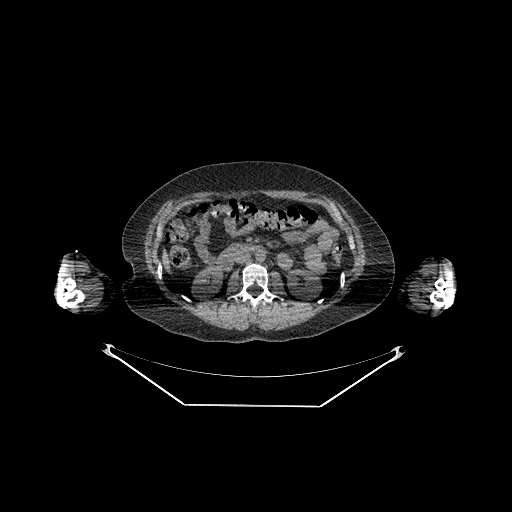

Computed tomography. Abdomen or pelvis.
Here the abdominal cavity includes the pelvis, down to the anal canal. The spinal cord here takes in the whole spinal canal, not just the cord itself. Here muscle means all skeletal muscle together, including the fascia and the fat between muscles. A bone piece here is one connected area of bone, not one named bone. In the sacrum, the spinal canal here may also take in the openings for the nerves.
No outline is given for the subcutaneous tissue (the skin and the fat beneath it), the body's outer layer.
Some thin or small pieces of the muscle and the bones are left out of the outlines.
{"bones":[{"outer":[[251,262],[261,264],[266,268],[269,275],[268,289],[272,293],[282,297],[283,301],[279,298],[274,298],[271,302],[264,304],[260,302],[256,306],[256,309],[253,310],[248,300],[242,301],[240,298],[235,299],[229,297],[236,294],[242,288],[242,269]],"hole":[[254,285],[255,285],[256,286],[257,286],[258,287],[259,287],[260,288],[260,289],[261,290],[260,291],[260,292],[256,296],[254,296],[253,295],[252,295],[248,291],[248,289],[251,286],[253,286]]},[[70,275],[75,279],[76,281],[76,287],[78,289],[80,289],[83,291],[86,295],[83,301],[79,302],[76,305],[74,305],[72,307],[71,307],[63,298],[65,296],[65,294],[67,292],[67,290],[61,285],[61,282],[60,281],[67,276],[69,276]],[[438,277],[441,277],[444,280],[445,283],[447,285],[443,289],[443,291],[448,296],[447,297],[447,299],[441,306],[441,307],[440,307],[436,304],[434,304],[431,301],[430,301],[429,297],[428,296],[429,294],[434,289],[435,287],[433,284],[438,278]],[[330,201],[331,201],[335,205],[335,206],[338,209],[338,210],[340,212],[340,213],[343,218],[343,221],[341,224],[339,224],[334,219],[334,216],[333,215],[333,212],[332,211],[332,209],[331,208],[331,207],[330,206],[330,204],[329,203],[329,202]],[[156,258],[157,259],[158,259],[159,260],[159,261],[161,263],[161,267],[162,268],[162,278],[161,279],[159,279],[158,278],[158,277],[157,276],[157,274],[156,273],[156,270],[157,269],[157,264],[155,262],[155,259]],[[161,221],[161,222],[162,223],[162,224],[163,225],[163,227],[162,228],[162,233],[161,234],[161,237],[160,238],[160,239],[159,240],[157,240],[156,239],[156,228],[157,227],[157,225]],[[349,235],[351,235],[353,237],[353,240],[354,241],[354,243],[355,244],[355,247],[354,248],[354,249],[353,249],[352,250],[351,250],[350,249],[350,247],[349,246],[349,244],[348,243],[348,236]],[[342,272],[344,272],[344,273],[345,274],[345,280],[344,281],[344,286],[343,287],[343,288],[341,288],[340,287],[340,286],[339,285],[339,284],[340,283],[340,277],[341,276],[341,273]],[[181,294],[182,294],[183,294],[184,295],[185,295],[186,296],[187,297],[188,297],[189,298],[190,299],[191,300],[191,301],[191,302],[190,302],[189,302],[188,301],[187,301],[186,300],[185,300],[184,299],[183,298],[182,297],[181,296],[181,295]],[[170,204],[171,205],[171,206],[170,207],[170,208],[170,209],[169,210],[169,211],[168,212],[167,213],[166,213],[165,214],[164,214],[164,213],[165,212],[165,211],[165,210],[165,209],[166,208],[167,207],[168,206],[169,205]]],"torso":[[[239,160],[283,161],[315,169],[340,183],[370,213],[388,238],[395,262],[391,290],[375,309],[313,337],[283,342],[252,340],[242,343],[205,342],[174,334],[130,311],[121,285],[132,271],[123,257],[121,237],[135,209],[147,196],[180,173],[206,164]]],"muscle":[{"outer":[[252,189],[273,189],[274,190],[301,190],[302,191],[313,191],[319,194],[323,194],[328,197],[333,198],[338,201],[352,217],[354,220],[354,222],[359,228],[359,231],[361,234],[361,237],[364,244],[364,249],[365,250],[365,255],[366,256],[366,263],[363,268],[363,271],[357,279],[353,281],[350,284],[350,289],[342,300],[338,302],[333,303],[325,307],[323,310],[321,310],[318,312],[312,318],[306,322],[304,322],[301,324],[295,325],[285,329],[277,330],[276,331],[270,331],[269,330],[265,331],[261,329],[253,329],[252,328],[248,328],[245,330],[225,329],[224,328],[220,328],[214,325],[211,325],[204,322],[198,317],[192,314],[190,314],[185,310],[183,310],[179,305],[178,305],[171,298],[166,295],[166,294],[158,287],[155,283],[152,275],[146,268],[146,265],[144,260],[144,241],[145,240],[145,235],[148,229],[148,226],[151,222],[151,219],[153,216],[156,213],[160,206],[165,201],[169,199],[176,199],[192,192],[199,192],[200,191],[230,191],[231,190],[237,191],[238,190],[251,190]],"hole":[[254,194],[318,204],[333,218],[329,202],[335,205],[343,218],[339,227],[353,237],[353,262],[359,263],[345,271],[343,288],[339,285],[321,303],[297,304],[299,300],[288,297],[280,273],[272,270],[268,272],[268,289],[283,301],[274,298],[260,302],[253,310],[248,300],[229,297],[242,288],[238,271],[229,276],[224,297],[191,302],[158,278],[155,259],[161,240],[156,239],[156,228],[161,221],[164,225],[190,203]]},[[64,260],[68,262],[70,261],[82,261],[84,262],[88,266],[88,268],[102,281],[104,293],[97,305],[85,309],[84,308],[77,309],[72,308],[79,303],[83,302],[87,295],[83,290],[77,287],[77,281],[71,274],[67,275],[59,281],[59,267]],[[431,263],[447,264],[452,273],[451,278],[453,283],[451,284],[448,295],[444,291],[448,285],[441,276],[438,276],[432,284],[434,287],[427,296],[430,302],[440,308],[437,309],[425,309],[414,305],[409,293],[409,288],[412,281],[422,274],[425,265]]],"right_arm":[[[74,251],[77,251],[84,254],[96,267],[105,273],[112,281],[114,287],[114,296],[109,305],[99,313],[93,315],[77,314],[66,310],[58,303],[56,299],[55,290],[54,289],[57,280],[57,273],[58,272],[59,260],[60,258],[66,253],[73,252]]],"left_arm":[[[433,254],[444,256],[449,260],[456,272],[456,275],[457,276],[457,285],[455,288],[454,298],[451,305],[440,314],[431,317],[430,316],[426,316],[425,315],[418,314],[402,306],[398,300],[398,291],[402,282],[405,278],[417,268],[423,259]]],"spinal_cord":[[[254,285],[255,285],[256,286],[257,286],[258,287],[259,287],[260,288],[260,289],[261,290],[260,291],[260,292],[256,296],[254,296],[253,295],[252,295],[248,291],[248,289],[251,286],[253,286]]],"abdominal_cavity":[[[254,194],[321,205],[346,234],[353,263],[340,273],[338,287],[330,297],[314,301],[292,299],[280,273],[268,271],[255,261],[248,262],[240,274],[234,271],[229,276],[224,297],[198,301],[176,294],[164,282],[158,248],[164,225],[178,210],[198,201]]]}